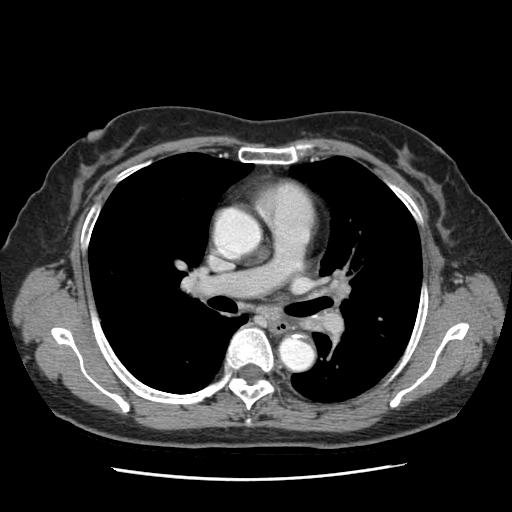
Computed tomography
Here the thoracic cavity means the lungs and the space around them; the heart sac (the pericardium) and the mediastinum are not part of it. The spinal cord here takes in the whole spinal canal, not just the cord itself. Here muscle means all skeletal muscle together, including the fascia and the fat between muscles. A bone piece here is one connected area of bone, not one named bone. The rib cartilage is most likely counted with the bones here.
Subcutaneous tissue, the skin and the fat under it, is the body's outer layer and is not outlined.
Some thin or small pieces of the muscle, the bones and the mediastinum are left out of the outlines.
Outlines (x, y in pixels):
torso: 159 105; 200 107; 250 119; 366 111; 413 127; 455 160; 511 238; 511 273; 494 349; 453 418; 415 435; 343 448; 182 448; 109 439; 52 411; 30 377; 12 335; 2 289; 0 247; 29 195; 40 187; 52 162; 71 143; 120 113
mediastinum 1: 312 191; 328 206; 330 218; 329 235; 318 279; 306 297; 300 324; 313 339; 319 358; 308 371; 294 373; 289 386; 280 377; 265 331; 247 326; 248 316; 231 304; 218 284; 230 298; 242 302; 290 301; 306 292; 317 275; 319 258; 329 232; 329 221; 326 208
mediastinum 2: 296 163; 297 163; 295 165; 292 165; 290 167; 289 169; 290 176; 289 177; 287 177; 284 175; 261 175; 249 178; 244 183; 230 189; 225 197; 216 207; 221 196; 226 190; 234 183; 246 176; 253 169; 255 164; 259 165; 291 165
bones 1: 90 292; 112 350; 127 370; 149 387; 174 394; 192 393; 205 387; 220 373; 231 337; 245 325; 263 330; 269 340; 278 372; 272 381; 276 390; 257 399; 248 410; 226 386; 195 404; 165 403; 137 395; 116 375; 100 350; 90 319; inner edge: 247 364; 254 364; 255 365; 258 366; 263 372; 263 376; 261 378; 258 379; 254 383; 253 383; 252 384; 248 384; 247 383; 247 382; 243 378; 240 377; 238 375; 238 371; 240 369; 240 368; 241 368; 243 366; 244 366
bones 2: 298 142; 311 142; 313 143; 315 145; 314 147; 314 153; 315 154; 311 154; 298 162; 291 164; 259 164; 258 163; 254 164; 253 163; 244 163; 238 160; 236 157; 237 150; 240 146; 285 147; 286 146; 294 145
bones 3: 423 279; 426 282; 428 288; 428 306; 427 307; 427 314; 425 318; 425 322; 420 337; 408 361; 399 373; 389 383; 383 386; 382 385; 383 383; 386 380; 390 374; 390 372; 402 355; 412 333; 412 330; 415 323; 418 311
bones 4: 460 322; 466 322; 469 325; 464 337; 462 339; 449 340; 438 355; 432 372; 417 386; 405 393; 396 407; 394 408; 390 407; 389 404; 390 401; 395 395; 402 389; 407 388; 413 384; 428 369; 431 364; 434 354; 447 330; 453 325
bones 5: 53 327; 62 327; 71 332; 74 343; 82 357; 86 372; 103 388; 118 394; 125 400; 129 404; 129 411; 123 412; 119 405; 112 398; 98 389; 83 374; 80 368; 79 359; 74 350; 67 344; 58 343; 53 337; 51 333; 51 329
bones 6: 97 201; 100 201; 102 205; 99 214; 93 226; 91 232; 91 235; 90 236; 90 239; 89 240; 89 243; 88 244; 88 247; 87 249; 83 252; 81 249; 81 241; 80 240; 81 238; 81 231; 83 227; 83 224; 85 218; 91 206
bones 7: 383 178; 385 178; 387 179; 393 184; 401 188; 404 191; 405 191; 413 199; 413 200; 416 203; 421 213; 421 215; 423 219; 423 225; 422 226; 416 223; 413 216; 410 213; 410 212; 408 210; 406 206; 394 193; 394 192; 382 180
bones 8: 149 159; 151 159; 153 161; 150 164; 135 171; 133 173; 130 174; 116 184; 115 184; 113 182; 113 179; 120 172; 121 172; 123 170; 126 169; 130 166; 132 166; 133 165; 135 165; 136 164; 138 164; 139 163; 144 162
pericardium: 261 176; 292 177; 300 181; 317 196; 317 198; 323 204; 326 212; 328 232; 324 248; 318 258; 316 275; 306 291; 290 300; 276 302; 236 300; 230 297; 218 283; 210 266; 210 224; 214 211; 230 190; 244 184; 249 179
muscle: 204 135; 265 145; 240 145; 236 158; 227 151; 184 151; 130 165; 112 179; 115 185; 103 204; 97 200; 90 206; 80 231; 80 249; 87 250; 94 339; 134 394; 153 402; 195 405; 226 387; 248 411; 277 390; 277 373; 308 400; 340 402; 371 388; 391 369; 381 385; 386 386; 409 361; 429 306; 417 227; 424 225; 422 213; 405 190; 349 156; 316 154; 311 141; 275 146; 305 137; 355 144; 419 192; 445 259; 445 286; 454 289; 462 276; 476 271; 493 280; 504 315; 484 365; 370 426; 345 432; 247 426; 155 429; 90 404; 48 379; 12 319; 26 275; 42 265; 72 275; 74 228; 102 174; 150 146 with holes at 460 322; 466 322; 469 325; 464 337; 462 339; 449 340; 438 355; 432 372; 417 386; 405 393; 396 407; 394 408; 390 407; 389 404; 390 401; 395 395; 402 389; 407 388; 413 384; 428 369; 431 364; 434 354; 447 330; 453 325 and at 53 327; 62 327; 71 332; 74 343; 82 357; 86 372; 103 388; 118 394; 125 400; 129 404; 129 411; 123 412; 119 405; 112 398; 98 389; 83 374; 80 368; 79 359; 74 350; 67 344; 58 343; 53 337; 51 333; 51 329 and at 248 416; 249 416; 250 417; 250 418; 251 419; 251 420; 251 421; 251 422; 251 423; 250 424; 250 425; 249 425; 248 425; 247 425; 246 425; 246 424; 245 423; 245 422; 245 421; 245 420; 245 419; 246 418; 247 417
thoracic cavity 1: 184 152; 227 152; 241 163; 253 164; 246 175; 220 196; 210 217; 206 244; 210 276; 230 304; 247 316; 247 322; 230 337; 221 369; 212 381; 192 392; 174 393; 142 382; 113 350; 94 300; 88 248; 102 206; 115 186; 153 162
thoracic cavity 2: 323 154; 357 161; 393 192; 416 224; 422 262; 417 311; 401 355; 371 387; 329 402; 308 399; 290 387; 294 374; 308 372; 320 358; 314 339; 301 324; 301 316; 319 279; 331 219; 326 201; 305 182; 291 176; 290 169; 311 155
spinal cord: 247 364; 254 364; 255 365; 258 366; 263 372; 263 376; 261 378; 258 379; 254 383; 253 383; 252 384; 248 384; 247 383; 247 382; 243 378; 240 377; 238 375; 238 371; 240 369; 240 368; 241 368; 243 366; 244 366